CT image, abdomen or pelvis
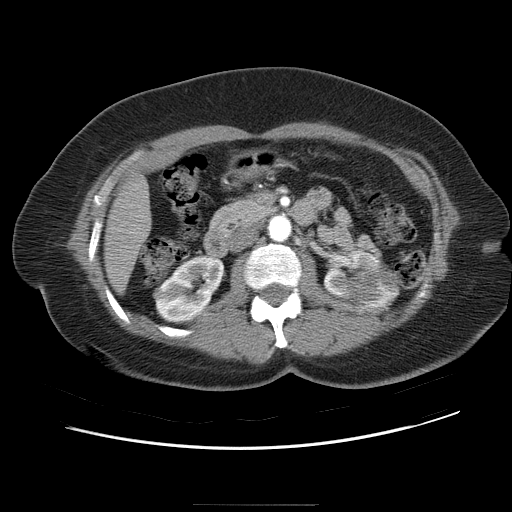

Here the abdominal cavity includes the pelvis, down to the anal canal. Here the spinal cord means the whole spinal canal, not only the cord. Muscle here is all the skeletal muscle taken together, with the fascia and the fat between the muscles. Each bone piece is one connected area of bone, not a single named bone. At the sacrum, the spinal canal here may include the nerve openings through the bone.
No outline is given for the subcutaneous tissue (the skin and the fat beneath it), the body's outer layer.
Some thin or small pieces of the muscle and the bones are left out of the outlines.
The spinal cord is outlined by 272 283; 276 283; 280 285; 283 285; 287 287; 287 288; 289 290; 289 292; 287 296; 285 298; 285 299; 279 305; 277 306; 273 306; 269 303; 268 303; 268 302; 266 300; 263 299; 259 295; 258 293; 260 290; 265 288; 268 285. The muscle is outlined by 300 121; 306 122; 325 121; 333 125; 340 126; 345 129; 363 134; 382 143; 391 142; 396 144; 402 144; 406 147; 411 148; 423 154; 429 162; 433 165; 450 200; 453 202; 457 208; 458 213; 461 218; 460 219; 461 224; 453 232; 452 236; 453 241; 451 242; 449 246; 449 251; 446 257; 444 275; 428 296; 423 308; 419 311; 413 319; 401 327; 370 342; 366 347; 362 347; 346 355; 339 355; 327 358; 317 357; 314 359; 292 354; 288 351; 285 352; 282 351; 278 354; 276 353; 274 354; 267 362; 258 366; 251 366; 246 363; 236 362; 214 355; 202 354; 193 349; 175 346; 167 346; 153 341; 138 339; 127 334; 121 329; 112 320; 105 308; 98 300; 92 288; 85 278; 85 275; 79 268; 78 264; 74 260; 73 257; 66 249; 66 241; 69 237; 72 225; 80 209; 82 201; 92 183; 99 174; 118 154; 126 148; 142 140; 146 140; 149 138; 156 138; 178 130; 202 125; 222 124; 237 127; 252 133; 260 133; 286 123; inner edges: 300 137; 381 153; 425 199; 432 233; 439 232; 441 242; 436 250; 431 238; 422 283; 407 301; 381 318; 351 315; 332 303; 314 264; 299 253; 302 314; 284 320; 287 346; 279 348; 271 323; 251 318; 254 291; 244 280; 241 253; 231 263; 229 289; 189 328; 191 334; 168 336; 149 317; 126 309; 129 324; 116 315; 97 253; 88 260; 88 244; 94 221; 101 221; 124 182; 198 146, then 138 150; 141 150; 143 152; 139 157; 125 170; 121 176; 116 180; 112 185; 104 200; 102 201; 98 206; 95 206; 93 202; 93 198; 94 195; 97 193; 100 186; 103 182; 116 170; 120 164; 124 161; 127 157; 133 152, then 425 283; 428 284; 428 285; 429 286; 428 286; 426 288; 426 296; 425 297; 424 297; 421 300; 421 301; 419 301; 418 302; 414 302; 414 299; 415 298; 416 295; 422 289; 422 288; 423 287; 423 285. The bones appear in 6 outlined pieces: piece 1: 269 243; 289 246; 301 262; 301 276; 297 288; 302 304; 302 314; 294 318; 287 317; 284 320; 282 331; 287 346; 283 348; 274 345; 275 334; 268 320; 258 322; 251 318; 249 309; 254 291; 245 282; 243 276; 244 262; 250 251; inner edge: 272 283; 276 283; 280 285; 283 285; 287 287; 287 288; 289 290; 289 292; 287 296; 285 298; 285 299; 279 305; 277 306; 273 306; 269 303; 268 303; 268 302; 266 300; 263 299; 259 295; 258 293; 260 290; 265 288; 268 285; piece 2: 138 150; 141 150; 143 152; 139 157; 125 170; 121 176; 116 180; 112 185; 104 200; 102 201; 98 206; 95 206; 93 202; 93 198; 94 195; 97 193; 100 186; 103 182; 116 170; 120 164; 124 161; 127 157; 133 152; piece 3: 101 220; 102 225; 100 230; 100 235; 99 236; 99 240; 97 245; 97 249; 94 255; 94 259; 93 261; 92 262; 90 262; 88 260; 88 244; 89 243; 89 240; 91 235; 91 229; 92 228; 94 221; 98 223; 100 222; piece 4: 106 286; 109 289; 109 290; 111 292; 115 299; 119 303; 121 307; 124 310; 125 313; 127 315; 130 321; 130 323; 129 324; 127 324; 123 320; 119 318; 116 315; 116 314; 112 309; 106 297; 106 294; 105 293; 105 287; piece 5: 158 326; 168 326; 169 327; 172 327; 173 328; 180 328; 181 329; 191 329; 192 330; 193 330; 193 332; 191 334; 189 334; 188 335; 187 335; 186 336; 184 336; 183 337; 171 337; 170 336; 168 336; 162 331; 161 331; 159 329; piece 6: 425 283; 428 284; 428 285; 429 286; 428 286; 426 288; 426 296; 425 297; 424 297; 421 300; 421 301; 419 301; 418 302; 414 302; 414 299; 415 298; 416 295; 422 289; 422 288; 423 287; 423 285. The abdominal cavity is outlined by 300 137; 381 153; 401 168; 425 199; 430 252; 422 283; 407 301; 381 318; 351 315; 323 291; 307 255; 269 242; 246 257; 241 253; 234 258; 229 289; 189 328; 158 325; 122 307; 106 285; 97 250; 103 215; 124 182; 198 146. The torso is outlined by 280 65; 331 73; 399 97; 431 114; 461 142; 508 213; 503 250; 511 257; 511 277; 502 316; 458 359; 363 389; 323 385; 290 372; 255 388; 195 390; 130 378; 78 351; 13 264; 14 224; 32 186; 88 121; 122 98; 213 72.